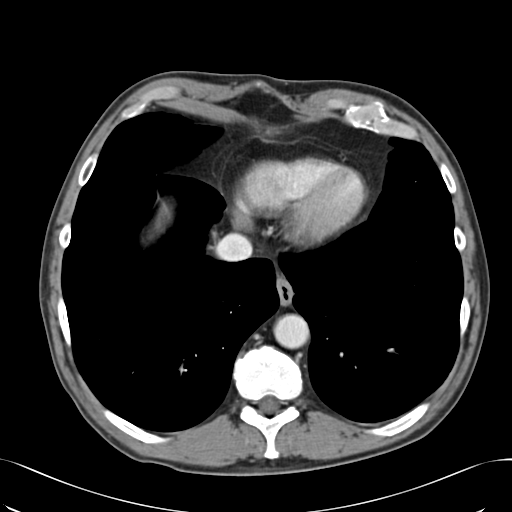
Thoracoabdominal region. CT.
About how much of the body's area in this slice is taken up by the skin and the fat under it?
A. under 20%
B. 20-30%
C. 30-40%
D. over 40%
Answer: A. under 20%
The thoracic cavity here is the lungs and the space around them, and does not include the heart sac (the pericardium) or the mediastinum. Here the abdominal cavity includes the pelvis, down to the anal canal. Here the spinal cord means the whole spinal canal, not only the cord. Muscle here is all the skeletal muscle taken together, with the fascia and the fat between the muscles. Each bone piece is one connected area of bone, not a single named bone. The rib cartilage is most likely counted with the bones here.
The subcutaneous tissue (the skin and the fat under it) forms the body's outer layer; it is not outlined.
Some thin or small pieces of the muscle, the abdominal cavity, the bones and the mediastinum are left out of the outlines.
Outlines:
pericardium: [[256,135],[313,137],[328,141],[357,154],[366,162],[373,177],[375,178],[377,187],[377,195],[373,207],[365,221],[326,245],[303,252],[285,251],[274,242],[263,237],[236,230],[230,221],[229,215],[226,211],[223,194],[218,185],[226,160],[242,143]]
thoracic cavity 1: [[143,112],[170,113],[221,129],[214,142],[165,172],[218,191],[225,206],[207,232],[204,253],[226,262],[269,260],[278,295],[276,310],[237,353],[231,374],[235,389],[203,421],[175,431],[144,429],[96,397],[74,359],[61,285],[80,190],[112,130]], around a hole outlined by [[157,191],[164,196],[165,195],[173,196],[175,199],[176,208],[175,209],[174,222],[171,227],[167,230],[165,234],[160,237],[154,244],[149,247],[142,248],[139,242],[140,232],[144,226],[150,221],[154,213],[155,209],[154,204],[156,199]]
thoracic cavity 2: [[391,137],[420,142],[450,194],[453,240],[463,277],[459,345],[449,373],[421,402],[388,422],[362,423],[332,410],[304,387],[302,372],[307,370],[312,334],[293,304],[295,292],[280,267],[279,256],[324,247],[368,219],[383,189],[389,154],[394,148]]
bones 1: [[262,345],[271,345],[290,356],[299,366],[303,380],[303,390],[292,401],[300,414],[278,430],[274,445],[279,452],[279,456],[273,459],[263,456],[266,448],[266,439],[262,432],[239,417],[241,408],[246,402],[237,392],[232,378],[234,362],[237,356]], around a hole outlined by [[267,395],[271,395],[275,397],[277,399],[278,399],[281,402],[281,406],[280,407],[280,409],[277,412],[273,414],[271,414],[270,415],[268,414],[264,414],[260,412],[257,406],[257,402],[263,397]]
bones 2: [[339,97],[345,99],[348,103],[360,105],[367,104],[375,100],[380,101],[383,104],[386,113],[391,118],[404,122],[413,127],[416,130],[420,140],[417,141],[377,133],[364,128],[356,128],[344,123],[342,121],[344,113],[343,109],[323,109],[327,100]]
bones 3: [[163,85],[171,85],[177,87],[179,89],[179,94],[176,97],[170,98],[169,99],[154,100],[152,101],[141,113],[127,119],[124,119],[123,120],[121,119],[120,114],[124,108],[136,102],[140,98],[141,95],[148,90],[154,87],[162,86]]
bones 4: [[424,401],[426,401],[429,403],[429,406],[427,410],[418,420],[402,431],[390,436],[375,435],[371,433],[368,433],[365,431],[366,429],[369,429],[374,427],[378,427],[386,423],[388,423],[393,420],[395,420],[400,416],[408,412],[417,405]]
bones 5: [[104,408],[106,408],[110,410],[123,419],[144,430],[146,430],[149,432],[157,434],[160,436],[169,437],[169,440],[165,442],[161,442],[160,443],[146,443],[145,442],[143,442],[124,432],[111,422],[110,422],[106,418],[103,413],[103,409]]
bones 6: [[60,295],[62,295],[65,304],[65,308],[67,314],[67,319],[69,325],[70,337],[71,338],[71,347],[67,346],[66,344],[59,323],[59,320],[58,319],[58,314],[57,313],[57,302],[58,301],[58,298]]
bones 7: [[95,152],[98,153],[98,156],[97,157],[97,160],[96,161],[95,166],[89,178],[87,180],[87,181],[81,187],[78,184],[78,176],[79,175],[79,172],[80,171],[80,169],[82,165],[86,160],[86,159],[92,153],[94,153]]
bones 8: [[463,295],[465,295],[468,299],[469,306],[470,307],[470,315],[469,316],[467,327],[464,332],[463,337],[460,339],[460,336],[459,335],[459,332],[460,331],[460,328],[459,327],[459,315],[460,314],[460,308],[461,307],[461,302],[462,301]]
bones 9: [[442,162],[443,163],[444,163],[448,168],[448,169],[454,180],[454,182],[455,183],[455,192],[452,194],[451,194],[449,192],[449,191],[447,188],[447,186],[442,177],[442,175],[441,174],[441,173],[440,172],[440,170],[439,169],[439,165]]
bones 10: [[67,222],[70,222],[70,223],[71,224],[71,235],[70,236],[69,243],[66,247],[66,248],[64,250],[63,249],[62,249],[62,248],[60,246],[60,244],[59,243],[59,233],[60,232],[60,230],[61,229],[61,228],[64,225],[64,224],[65,224]]
bones 11: [[455,225],[457,225],[461,229],[461,230],[463,232],[463,233],[464,234],[464,235],[465,236],[465,247],[464,248],[464,249],[460,253],[458,251],[458,250],[457,249],[457,248],[456,247],[456,246],[455,245],[455,241],[454,240],[454,227],[455,226]]
abdominal cavity 1: [[245,95],[271,96],[299,114],[337,119],[302,125],[290,135],[254,135],[256,132],[246,126],[234,127],[209,160],[197,166],[194,173],[200,179],[166,172],[193,159],[223,133],[218,126],[204,124],[202,117],[172,107],[183,106],[186,102],[219,102]]
abdominal cavity 2: [[157,191],[164,196],[165,195],[173,196],[175,199],[176,208],[175,209],[174,222],[171,227],[167,230],[165,234],[160,237],[154,244],[149,247],[142,248],[139,242],[140,232],[144,226],[150,221],[154,213],[155,209],[154,204],[156,199]]
abdominal cavity 3: [[213,224],[215,224],[215,229],[214,230],[214,250],[215,251],[215,254],[216,255],[216,256],[219,259],[216,259],[209,255],[207,255],[204,251],[204,250],[205,249],[205,246],[206,245],[206,243],[208,240],[208,232],[209,231],[210,228],[213,225]]
spinal cord: [[267,395],[271,395],[275,397],[277,399],[278,399],[281,402],[281,406],[280,407],[280,409],[277,412],[273,414],[271,414],[270,415],[268,414],[264,414],[260,412],[257,406],[257,402],[263,397]]
mediastinum 1: [[225,207],[236,231],[263,238],[284,251],[278,256],[278,264],[294,292],[292,304],[304,318],[311,334],[305,371],[290,355],[271,344],[238,354],[249,336],[277,310],[279,295],[274,266],[269,259],[247,257],[241,261],[226,261],[217,256],[215,230]]
mediastinum 2: [[327,120],[338,120],[356,129],[364,129],[377,134],[392,136],[389,139],[389,143],[393,148],[388,154],[382,189],[376,201],[378,195],[376,178],[374,177],[367,162],[357,153],[351,149],[344,148],[318,137],[291,135],[297,128],[319,124]]
mediastinum 3: [[243,127],[253,130],[255,133],[248,139],[242,142],[225,160],[225,163],[222,167],[217,185],[222,196],[217,189],[203,181],[195,173],[200,164],[205,164],[210,160],[210,158],[216,148],[230,136],[230,134],[232,133],[232,130],[234,128],[242,128]]
mediastinum 4: [[156,105],[158,106],[166,105],[172,108],[176,108],[179,110],[185,111],[194,115],[196,115],[202,118],[204,121],[202,123],[195,123],[190,121],[190,120],[186,117],[177,115],[170,112],[165,112],[164,111],[144,111],[149,107],[155,106]]
muscle: [[168,77],[224,85],[254,81],[255,88],[261,88],[263,81],[288,93],[343,88],[371,94],[420,122],[442,148],[458,177],[474,235],[481,322],[460,384],[424,425],[390,444],[331,459],[279,457],[275,440],[279,430],[301,414],[293,401],[304,388],[346,419],[384,423],[364,430],[375,436],[398,434],[428,410],[430,403],[424,400],[450,373],[471,315],[460,255],[466,236],[455,224],[451,195],[456,183],[447,165],[442,161],[438,167],[417,130],[391,117],[377,99],[363,104],[340,96],[327,99],[322,109],[343,110],[341,121],[334,116],[299,113],[267,94],[146,108],[154,101],[176,98],[180,89],[171,84],[154,86],[124,107],[121,121],[99,152],[92,152],[79,169],[80,189],[71,219],[58,233],[63,250],[58,323],[81,377],[105,407],[103,415],[124,433],[146,444],[165,443],[169,436],[152,432],[181,431],[203,422],[235,390],[245,402],[238,417],[263,435],[265,458],[203,466],[144,456],[110,435],[86,411],[63,376],[50,330],[48,273],[55,221],[75,168],[103,122],[138,88]]
torso: [[170,70],[375,85],[411,103],[448,144],[464,174],[479,223],[490,303],[470,380],[455,406],[427,435],[395,450],[332,467],[273,475],[207,475],[136,461],[110,445],[82,417],[58,379],[40,312],[38,281],[46,227],[69,167],[106,107],[133,83]]